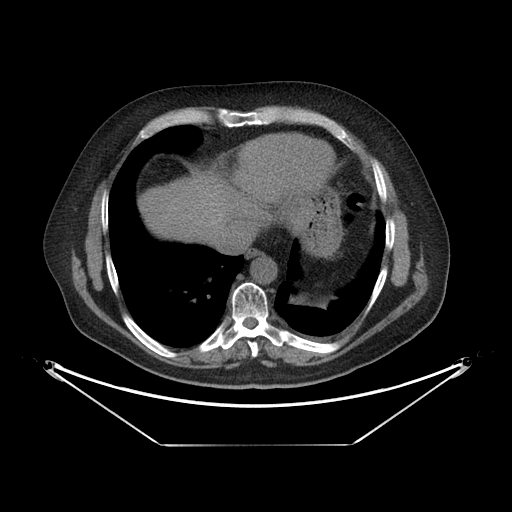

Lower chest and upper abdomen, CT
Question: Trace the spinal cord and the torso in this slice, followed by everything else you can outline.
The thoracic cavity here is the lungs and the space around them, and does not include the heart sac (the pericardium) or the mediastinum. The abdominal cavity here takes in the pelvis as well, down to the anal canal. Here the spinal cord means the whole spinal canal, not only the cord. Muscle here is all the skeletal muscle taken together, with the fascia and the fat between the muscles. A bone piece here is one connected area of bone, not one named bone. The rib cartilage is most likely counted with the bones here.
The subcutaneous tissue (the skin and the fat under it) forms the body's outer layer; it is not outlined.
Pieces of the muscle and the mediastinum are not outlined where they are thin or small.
Answer: The spinal cord is outlined by 250 317; 251 318; 254 318; 256 320; 256 321; 257 322; 256 323; 256 325; 254 327; 253 327; 252 328; 249 328; 248 327; 247 327; 246 326; 245 326; 243 324; 243 322; 244 321; 244 320; 246 318; 249 318. The torso is outlined by 266 80; 313 81; 343 89; 371 104; 398 128; 426 176; 448 230; 450 265; 443 303; 433 321; 412 339; 381 359; 329 381; 296 388; 238 390; 196 386; 157 376; 90 340; 74 326; 44 260; 46 222; 84 145; 124 104; 170 86. The muscle appears in 3 outlined pieces: piece 1: 137 134; 133 142; 135 146; 123 161; 109 191; 105 188; 101 193; 100 223; 102 232; 104 234; 108 232; 109 238; 110 253; 106 252; 104 255; 107 278; 116 296; 119 295; 120 290; 129 313; 123 311; 120 315; 121 319; 142 344; 158 355; 174 358; 179 354; 168 347; 189 348; 195 345; 201 353; 218 347; 227 350; 238 339; 245 338; 250 355; 255 358; 259 352; 256 340; 259 336; 265 337; 277 347; 286 344; 321 354; 329 354; 340 349; 348 340; 346 338; 334 340; 354 322; 363 310; 362 316; 367 315; 388 275; 388 266; 381 266; 381 264; 384 250; 390 251; 393 247; 396 226; 394 219; 389 216; 385 218; 380 208; 380 201; 385 203; 388 195; 378 160; 389 175; 407 219; 411 261; 416 261; 422 253; 428 278; 426 293; 413 307; 382 330; 345 353; 315 365; 268 367; 254 358; 230 369; 187 368; 153 357; 104 322; 85 304; 74 287; 71 273; 72 249; 77 256; 85 258; 84 242; 94 193; 118 160; 122 150; piece 2: 337 122; 343 125; 348 130; 358 137; 364 143; 367 150; 376 158; 372 157; 370 159; 371 169; 373 175; 372 177; 370 174; 370 172; 368 171; 362 160; 360 159; 358 155; 356 154; 357 149; 354 145; 352 139; 347 132; 338 124; piece 3: 191 106; 193 107; 195 106; 213 106; 214 107; 218 107; 216 109; 214 113; 211 113; 209 111; 207 111; 206 110; 201 110; 200 109; 195 109; 194 108; 186 108; 185 109; 183 109; 182 110; 180 110; 176 112; 167 113; 166 114; 161 115; 158 117; 156 117; 145 125; 145 124; 147 122; 148 122; 153 118; 163 113; 165 113; 167 111; 169 111; 173 109; 177 109; 178 108; 190 107. The pericardium is outlined by 287 128; 319 132; 327 136; 335 144; 341 157; 337 160; 327 177; 315 183; 305 184; 295 192; 283 212; 281 226; 242 224; 242 220; 240 219; 240 194; 232 182; 220 173; 214 161; 214 157; 219 152; 233 146; 246 136; 258 132. The thoracic cavity appears in 2 outlined pieces: piece 1: 185 124; 200 130; 200 141; 186 153; 154 153; 137 174; 134 201; 139 219; 157 242; 205 246; 226 257; 242 256; 243 265; 230 285; 229 313; 216 328; 198 344; 171 347; 150 336; 130 315; 111 255; 109 196; 138 144; 165 128; piece 2: 380 210; 384 218; 384 249; 365 307; 332 341; 312 340; 286 328; 274 307; 278 287; 286 279; 292 244; 295 241; 298 244; 300 274; 290 282; 294 291; 288 301; 325 309; 338 297; 337 292; 357 277; 368 259; 375 242; 376 213. The bones appear in 8 outlined pieces: piece 1: 246 281; 263 289; 269 310; 278 319; 275 323; 278 326; 316 342; 347 340; 329 353; 286 343; 277 346; 262 335; 255 338; 258 348; 255 357; 251 355; 245 337; 238 338; 227 349; 218 346; 199 351; 197 346; 230 313; 232 291; inner edge: 250 317; 251 318; 254 318; 256 320; 256 321; 257 322; 256 323; 256 325; 254 327; 253 327; 252 328; 249 328; 248 327; 247 327; 246 326; 245 326; 243 324; 243 322; 244 321; 244 320; 246 318; 249 318; piece 2: 273 106; 301 109; 328 117; 346 132; 356 152; 352 151; 325 128; 315 124; 273 122; 227 127; 221 125; 215 119; 202 124; 171 125; 134 145; 142 128; 154 119; 167 114; 186 109; 214 114; 220 107; 230 111; 247 112; 259 111; piece 3: 123 312; 127 313; 132 318; 136 324; 150 337; 162 345; 167 347; 170 350; 174 351; 178 354; 174 357; 166 357; 165 356; 158 354; 156 352; 153 351; 147 347; 143 343; 142 343; 127 327; 122 319; 122 316; 121 315; piece 4: 372 158; 374 158; 377 160; 383 175; 383 178; 386 186; 386 194; 387 195; 385 202; 382 202; 380 200; 377 192; 377 189; 375 184; 375 180; 374 179; 374 175; 373 174; 373 170; 372 169; 372 164; 371 163; 371 159; piece 5: 383 266; 387 266; 387 275; 386 276; 386 279; 384 282; 384 284; 378 296; 376 298; 371 308; 366 314; 366 315; 365 316; 363 316; 364 314; 364 310; 368 303; 368 301; 372 293; 375 282; 378 277; 378 275; 381 269; 381 267; piece 6: 106 253; 110 254; 112 261; 113 262; 113 264; 114 265; 114 267; 115 268; 115 270; 116 271; 117 279; 119 284; 118 295; 116 295; 114 293; 108 278; 107 270; 106 269; 106 262; 105 261; 105 255; piece 7: 105 189; 106 189; 107 190; 108 190; 108 191; 109 192; 109 195; 108 196; 108 231; 106 233; 104 233; 103 232; 103 231; 102 230; 102 224; 101 223; 101 199; 102 198; 102 193; 103 192; 103 191; piece 8: 388 217; 389 217; 390 218; 392 218; 393 219; 393 220; 394 221; 394 225; 395 226; 395 231; 394 232; 394 240; 393 241; 393 244; 392 245; 392 247; 390 250; 389 250; 388 249; 387 249; 386 248; 385 248; 385 219; 386 219. The mediastinum appears in 2 outlined pieces: piece 1: 234 225; 283 227; 295 240; 291 244; 289 250; 285 279; 277 287; 275 292; 275 301; 272 312; 270 310; 266 292; 253 281; 246 280; 241 282; 230 294; 231 285; 243 268; 244 257; 242 255; 226 256; 215 248; 223 233; 230 226; piece 2: 273 123; 319 126; 329 132; 355 154; 340 155; 336 144; 327 135; 319 131; 288 127; 258 131; 246 135; 233 145; 219 151; 213 157; 193 157; 187 154; 202 139; 202 132; 195 125; 204 124; 208 126; 235 128; 253 125; 269 125. The abdominal cavity appears in 2 outlined pieces: piece 1: 351 154; 356 155; 373 176; 379 199; 380 209; 375 213; 373 246; 356 277; 339 289; 337 297; 325 308; 292 303; 289 301; 290 294; 295 289; 291 282; 301 274; 299 244; 282 226; 284 212; 298 190; 305 185; 323 181; 340 158; piece 2: 158 153; 186 154; 193 158; 213 158; 219 173; 225 176; 237 190; 237 193; 239 194; 239 219; 241 220; 241 224; 230 225; 222 233; 214 249; 199 244; 157 241; 153 239; 144 228; 136 207; 136 180; 144 164; 154 154.